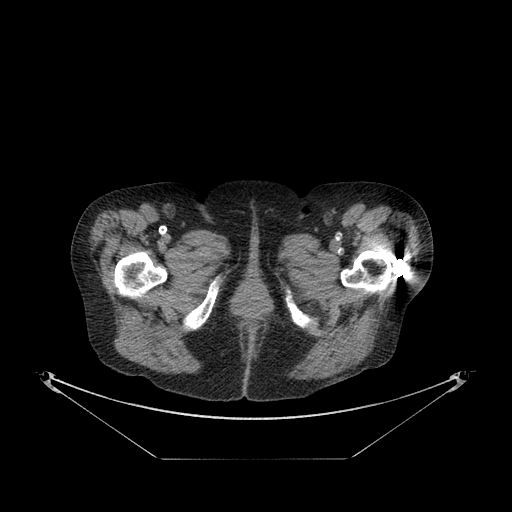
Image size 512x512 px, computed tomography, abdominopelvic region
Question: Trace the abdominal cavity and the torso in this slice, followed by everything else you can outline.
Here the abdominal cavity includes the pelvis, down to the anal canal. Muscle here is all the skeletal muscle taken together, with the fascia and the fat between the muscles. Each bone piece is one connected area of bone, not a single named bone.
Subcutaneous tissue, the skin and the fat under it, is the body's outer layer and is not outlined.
Answer: The abdominal cavity is outlined by (255, 282) (258, 282) (264, 288) (271, 302) (271, 307) (264, 320) (265, 321) (263, 326) (264, 327) (259, 341) (255, 345) (250, 346) (244, 342) (243, 339) (244, 338) (242, 335) (243, 334) (242, 328) (234, 314) (232, 307) (235, 297) (243, 286) (248, 283) (250, 284). The torso is outlined by (237, 178) (282, 182) (301, 195) (325, 182) (377, 181) (402, 189) (420, 203) (431, 226) (433, 265) (426, 284) (406, 308) (389, 361) (311, 396) (273, 402) (186, 397) (99, 361) (88, 341) (70, 264) (73, 232) (84, 209) (121, 187) (176, 181) (205, 194) (214, 185). The bones appear in 4 outlined pieces: piece 1: (136, 251) (145, 251) (156, 266) (160, 265) (164, 267) (167, 272) (167, 278) (164, 282) (160, 283) (149, 289) (142, 297) (139, 297) (136, 299) (131, 299) (128, 297) (120, 296) (116, 293) (116, 288) (113, 283) (113, 275) (114, 274) (115, 265) (118, 260) (122, 257); piece 2: (368, 249) (384, 250) (389, 255) (393, 273) (391, 276) (387, 288) (380, 293) (373, 293) (372, 294) (363, 293) (363, 291) (361, 289) (355, 289) (351, 287) (344, 286) (342, 284) (340, 279) (340, 272) (342, 269) (344, 268) (351, 268) (353, 265) (354, 259) (362, 251); piece 3: (218, 274) (220, 274) (221, 276) (221, 280) (219, 284) (219, 290) (216, 296) (214, 304) (212, 307) (212, 309) (209, 316) (207, 318) (206, 321) (196, 330) (191, 330) (190, 331) (186, 330) (183, 327) (182, 319) (186, 314) (202, 302) (206, 296) (209, 284); piece 4: (286, 286) (287, 286) (290, 289) (291, 291) (291, 294) (292, 295) (292, 298) (297, 306) (304, 313) (307, 314) (310, 317) (313, 318) (316, 322) (316, 324) (312, 324) (306, 328) (301, 328) (293, 322) (291, 318) (290, 312) (287, 307) (287, 305) (285, 301) (285, 287). The muscle appears in 3 outlined pieces: piece 1: (362, 200) (391, 203) (411, 214) (423, 244) (421, 278) (415, 287) (408, 288) (392, 301) (374, 348) (360, 363) (325, 378) (289, 379) (283, 374) (302, 358) (305, 343) (303, 333) (287, 321) (273, 273) (277, 244) (284, 236) (297, 232) (328, 239) (338, 229) (347, 208); inner edges: (368, 249) (384, 250) (389, 255) (393, 273) (391, 276) (387, 288) (380, 293) (373, 293) (372, 294) (363, 293) (363, 291) (361, 289) (355, 289) (351, 287) (344, 286) (342, 284) (340, 279) (340, 272) (342, 269) (344, 268) (351, 268) (353, 265) (354, 259) (362, 251), then (286, 286) (287, 286) (290, 289) (291, 291) (291, 294) (292, 295) (292, 298) (297, 306) (304, 313) (307, 314) (310, 317) (313, 318) (316, 322) (316, 324) (312, 324) (306, 328) (301, 328) (293, 322) (291, 318) (290, 312) (287, 307) (287, 305) (285, 301) (285, 287); piece 2: (132, 198) (152, 204) (167, 227) (214, 231) (230, 244) (233, 268) (212, 321) (197, 330) (212, 312) (220, 273) (201, 302) (181, 319) (186, 331) (195, 331) (188, 345) (204, 363) (198, 374) (164, 374) (128, 360) (113, 346) (113, 314) (89, 257) (87, 238) (102, 208) with a hole at (136, 251) (145, 251) (156, 266) (160, 265) (164, 267) (167, 272) (167, 278) (164, 282) (160, 283) (149, 289) (142, 297) (139, 297) (136, 299) (131, 299) (128, 297) (120, 296) (116, 293) (116, 288) (113, 283) (113, 275) (114, 274) (115, 265) (118, 260) (122, 257); piece 3: (247, 277) (258, 277) (263, 280) (267, 284) (274, 304) (273, 315) (268, 324) (269, 327) (266, 330) (262, 343) (258, 348) (259, 349) (256, 357) (253, 358) (242, 355) (243, 354) (239, 341) (239, 330) (236, 327) (236, 322) (229, 310) (230, 297) (240, 283) (239, 282); inner edge: (255, 282) (258, 282) (264, 288) (271, 302) (271, 307) (264, 320) (265, 321) (263, 326) (264, 327) (259, 341) (255, 345) (250, 346) (244, 342) (243, 339) (244, 338) (242, 335) (243, 334) (242, 328) (234, 314) (232, 307) (235, 297) (243, 286) (248, 283) (250, 284).